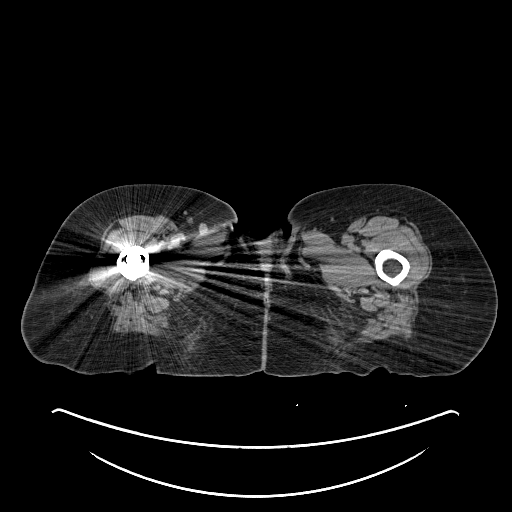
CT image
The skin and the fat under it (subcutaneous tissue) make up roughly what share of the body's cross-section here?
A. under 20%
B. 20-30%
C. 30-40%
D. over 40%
D. over 40%
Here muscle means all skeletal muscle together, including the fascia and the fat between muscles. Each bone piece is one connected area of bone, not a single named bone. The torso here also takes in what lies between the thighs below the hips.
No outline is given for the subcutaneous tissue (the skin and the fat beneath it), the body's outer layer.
The muscle appears in 2 outlined pieces: piece 1: (372, 212) (389, 216) (405, 216) (414, 222) (431, 252) (432, 270) (418, 287) (419, 310) (413, 328) (414, 335) (408, 341) (375, 340) (370, 343) (357, 343) (352, 335) (350, 321) (341, 301) (299, 261) (303, 231) (316, 228) (325, 235) (335, 238) (353, 220); inner edge: (386, 248) (390, 248) (392, 250) (396, 252) (398, 252) (403, 255) (408, 260) (410, 265) (407, 275) (399, 283) (399, 284) (396, 286) (393, 286) (386, 281) (380, 278) (378, 276) (375, 269) (375, 266) (374, 265) (374, 259) (376, 254) (380, 250) (382, 249) (385, 249); piece 2: (162, 213) (174, 221) (189, 216) (221, 225) (222, 237) (210, 255) (203, 281) (179, 300) (160, 336) (155, 337) (143, 333) (115, 334) (112, 330) (113, 314) (106, 308) (103, 294) (94, 290) (89, 279) (89, 271) (100, 248) (101, 235) (116, 217) (123, 214) (154, 215), around a hole outlined by (126, 243) (140, 245) (143, 247) (145, 247) (147, 250) (149, 251) (148, 253) (148, 266) (149, 267) (149, 272) (147, 272) (145, 274) (138, 277) (134, 280) (130, 280) (128, 278) (125, 277) (120, 272) (119, 272) (115, 267) (116, 266) (116, 261) (121, 251) (122, 246). The torso is outlined by (277, 226) (282, 227) (284, 231) (284, 235) (287, 237) (288, 235) (288, 239) (285, 247) (285, 251) (282, 256) (279, 266) (272, 273) (265, 283) (255, 266) (252, 258) (244, 247) (242, 240) (242, 233) (248, 227) (255, 227) (257, 231) (257, 235) (259, 237) (262, 237). The bones appear in 2 outlined pieces: piece 1: (386, 248) (390, 248) (392, 250) (396, 252) (398, 252) (403, 255) (408, 260) (410, 265) (407, 275) (399, 283) (399, 284) (396, 286) (393, 286) (386, 281) (380, 278) (378, 276) (375, 269) (375, 266) (374, 265) (374, 259) (376, 254) (380, 250) (382, 249) (385, 249); piece 2: (126, 243) (140, 245) (143, 247) (145, 247) (147, 250) (149, 251) (148, 253) (148, 266) (149, 267) (149, 272) (147, 272) (145, 274) (138, 277) (134, 280) (130, 280) (128, 278) (125, 277) (120, 272) (119, 272) (115, 267) (116, 266) (116, 261) (121, 251) (122, 246). The right leg is outlined by (139, 183) (199, 189) (225, 201) (236, 212) (238, 220) (233, 233) (241, 234) (243, 247) (266, 286) (268, 318) (262, 371) (242, 376) (182, 376) (159, 374) (150, 365) (132, 374) (82, 374) (43, 363) (28, 351) (20, 330) (22, 311) (60, 225) (88, 197) (111, 187). The left leg is outlined by (363, 183) (396, 183) (420, 188) (442, 200) (460, 218) (480, 248) (495, 281) (498, 306) (490, 337) (463, 370) (451, 375) (418, 377) (391, 373) (381, 367) (366, 375) (266, 374) (263, 371) (269, 318) (266, 283) (280, 266) (286, 251) (289, 210) (311, 193).